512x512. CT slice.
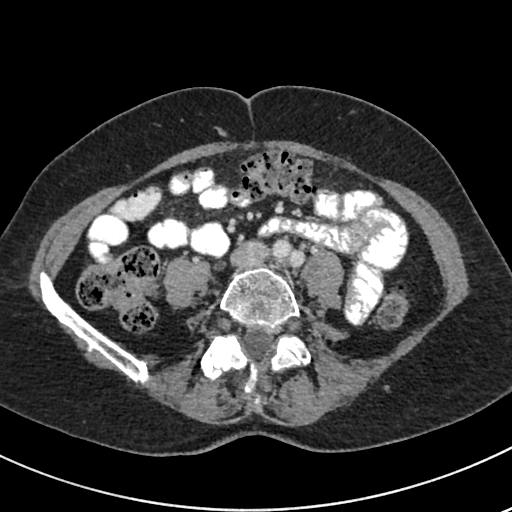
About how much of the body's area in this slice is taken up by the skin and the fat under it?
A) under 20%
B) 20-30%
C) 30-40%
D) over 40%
D) over 40%
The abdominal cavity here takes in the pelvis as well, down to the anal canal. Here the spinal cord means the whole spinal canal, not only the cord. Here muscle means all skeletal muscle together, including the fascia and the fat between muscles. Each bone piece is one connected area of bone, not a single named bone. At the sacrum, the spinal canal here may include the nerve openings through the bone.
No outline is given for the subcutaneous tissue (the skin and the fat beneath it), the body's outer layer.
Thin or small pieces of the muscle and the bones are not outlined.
{"bones":[{"outer":[[258,269],[279,275],[292,289],[300,317],[289,320],[286,328],[305,343],[311,360],[306,365],[274,372],[261,368],[255,391],[246,393],[246,371],[231,368],[212,380],[203,373],[200,359],[214,335],[232,328],[230,319],[219,309],[228,284],[235,276]],"hole":[[255,325],[263,325],[266,327],[269,327],[274,329],[276,332],[276,343],[275,344],[276,348],[273,354],[267,359],[263,361],[255,361],[247,356],[244,351],[244,348],[241,342],[239,341],[237,338],[237,332],[240,327],[242,326],[254,326]]},[[41,270],[44,270],[49,275],[56,291],[78,314],[119,346],[137,358],[146,362],[149,372],[148,378],[146,381],[135,383],[111,361],[97,350],[92,349],[83,339],[76,335],[71,328],[61,323],[46,309],[41,300],[40,290],[38,285],[38,276]]],"muscle":[{"outer":[[251,139],[254,139],[258,141],[263,140],[292,140],[300,143],[304,143],[317,149],[344,158],[366,172],[401,183],[415,191],[427,200],[440,213],[453,229],[459,243],[460,250],[462,253],[462,257],[464,260],[468,276],[469,285],[471,289],[469,294],[440,321],[417,345],[384,371],[374,383],[371,384],[365,391],[360,393],[349,405],[338,408],[326,415],[323,418],[313,423],[296,427],[290,427],[265,422],[257,415],[254,415],[251,419],[246,419],[244,421],[240,421],[236,423],[230,423],[225,425],[211,425],[187,417],[185,415],[175,411],[157,401],[153,400],[144,391],[134,387],[123,376],[120,375],[117,372],[109,369],[99,368],[88,362],[83,357],[81,352],[76,347],[74,342],[70,337],[62,331],[52,317],[34,299],[30,294],[27,286],[27,276],[29,269],[29,263],[33,258],[34,253],[38,247],[40,239],[50,224],[56,218],[65,213],[75,204],[104,187],[127,183],[131,180],[135,179],[157,164],[162,162],[168,157],[180,151],[210,142],[226,141],[227,140],[237,142],[245,142]],"holes":[[[260,146],[355,172],[409,214],[443,280],[444,299],[430,319],[386,349],[345,348],[351,333],[324,318],[341,308],[345,269],[321,248],[301,269],[317,315],[302,304],[286,324],[310,362],[263,367],[246,393],[246,371],[212,380],[200,367],[213,336],[232,328],[219,299],[187,319],[189,336],[176,351],[138,355],[116,343],[146,362],[148,378],[138,383],[46,309],[40,271],[59,294],[62,268],[116,198],[174,166]],[[256,393],[258,393],[260,395],[260,397],[261,398],[260,399],[260,400],[259,401],[259,402],[258,403],[258,404],[257,404],[256,405],[255,405],[254,404],[254,398],[255,397],[255,394]]]},[[176,257],[187,258],[191,261],[206,261],[209,265],[210,280],[208,286],[210,291],[205,297],[202,299],[203,302],[198,304],[196,307],[187,307],[182,309],[174,309],[171,307],[166,300],[165,297],[166,289],[164,285],[166,264],[170,260]]],"abdominal_cavity":[{"outer":[[260,146],[355,172],[409,214],[443,280],[430,319],[386,349],[345,348],[351,333],[324,318],[341,308],[345,269],[325,248],[301,269],[317,315],[279,274],[248,270],[187,319],[189,336],[176,351],[138,355],[62,297],[62,268],[116,198],[174,166]],"hole":[[176,257],[187,258],[191,261],[206,261],[209,265],[210,280],[208,286],[210,291],[205,297],[202,299],[203,302],[198,304],[196,307],[187,307],[182,309],[174,309],[171,307],[166,300],[165,297],[166,289],[164,285],[166,264],[170,260]]}],"spinal_cord":[[[255,325],[263,325],[266,327],[269,327],[274,329],[276,332],[276,343],[275,344],[276,348],[273,354],[267,359],[263,361],[255,361],[247,356],[244,351],[244,348],[241,342],[239,341],[237,338],[237,332],[240,327],[242,326],[254,326]]],"torso":[[[287,84],[330,89],[371,102],[412,125],[445,157],[511,268],[511,393],[433,431],[382,446],[337,453],[314,452],[250,435],[194,455],[140,455],[70,436],[0,406],[0,233],[41,169],[98,124],[158,95],[187,87],[216,86],[249,97],[264,88]]]}